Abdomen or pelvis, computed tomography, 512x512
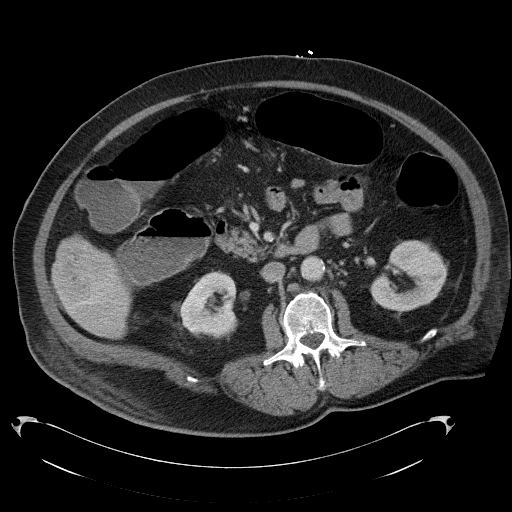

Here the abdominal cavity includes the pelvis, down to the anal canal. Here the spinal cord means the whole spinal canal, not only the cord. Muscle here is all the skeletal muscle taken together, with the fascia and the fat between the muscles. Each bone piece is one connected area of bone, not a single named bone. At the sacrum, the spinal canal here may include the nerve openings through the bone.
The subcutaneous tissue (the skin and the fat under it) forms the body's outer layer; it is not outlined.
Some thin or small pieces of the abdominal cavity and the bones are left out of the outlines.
The spinal cord is outlined by 313 333; 321 333; 323 335; 323 339; 321 341; 321 342; 316 347; 315 347; 314 348; 312 348; 311 347; 310 347; 309 346; 302 343; 300 340; 301 339; 301 338; 302 337; 303 337; 305 335; 306 335; 307 334; 312 334. The muscle is outlined by 268 80; 299 80; 336 86; 343 89; 350 90; 362 96; 381 101; 417 119; 450 145; 465 161; 474 174; 486 201; 491 227; 491 254; 490 255; 490 271; 491 272; 484 298; 475 318; 474 326; 476 333; 472 338; 449 346; 411 371; 409 371; 406 374; 364 398; 357 400; 348 400; 324 391; 310 409; 292 416; 273 416; 249 407; 232 398; 221 395; 199 393; 194 390; 180 386; 167 376; 155 371; 127 367; 105 366; 88 361; 75 355; 59 339; 43 312; 35 285; 32 263; 32 253; 35 238; 43 215; 56 190; 67 176; 80 163; 87 153; 114 126; 134 113; 150 105; 169 98; 195 92; 200 89; 208 89; 237 83, around holes outlined by 263 87; 332 93; 395 119; 453 166; 473 224; 475 259; 465 309; 423 342; 364 333; 353 325; 345 296; 336 288; 331 291; 333 330; 366 344; 348 346; 339 357; 321 352; 322 391; 309 355; 298 367; 283 359; 263 364; 287 341; 271 302; 260 319; 265 350; 229 360; 218 373; 203 375; 141 345; 81 333; 60 310; 47 273; 46 247; 56 213; 76 177; 102 148; 150 115; 194 96 and by 187 375; 190 375; 191 376; 192 376; 193 377; 195 377; 196 378; 197 378; 199 380; 199 381; 198 382; 190 382; 189 381; 188 381; 186 379; 186 377; 187 376. The torso is outlined by 259 54; 344 58; 382 69; 439 100; 478 139; 502 190; 510 257; 503 321; 482 376; 442 380; 373 408; 332 411; 289 433; 208 437; 155 429; 109 413; 36 363; 18 312; 12 238; 25 201; 47 163; 82 122; 143 81; 190 65. The bones appear in 2 outlined pieces: piece 1: 308 291; 318 294; 329 305; 333 330; 340 337; 366 343; 346 347; 339 357; 326 350; 321 352; 320 369; 325 381; 322 391; 317 388; 318 371; 309 355; 298 367; 283 359; 263 364; 264 359; 286 344; 287 336; 279 321; 286 304 with a hole at 313 333; 321 333; 323 335; 323 339; 321 341; 321 342; 316 347; 315 347; 314 348; 312 348; 311 347; 310 347; 309 346; 302 343; 300 340; 301 339; 301 338; 302 337; 303 337; 305 335; 306 335; 307 334; 312 334; piece 2: 432 328; 437 328; 437 332; 436 333; 436 334; 433 337; 432 337; 431 338; 430 338; 429 339; 428 339; 427 340; 426 340; 425 341; 424 341; 423 342; 420 342; 420 339; 430 329; 431 329. The abdominal cavity is outlined by 263 87; 371 106; 453 166; 475 241; 461 315; 412 342; 387 340; 353 325; 338 289; 334 320; 321 295; 301 291; 279 315; 271 302; 263 309; 265 350; 229 360; 214 375; 78 331; 46 267; 50 230; 76 177; 109 142; 162 109.